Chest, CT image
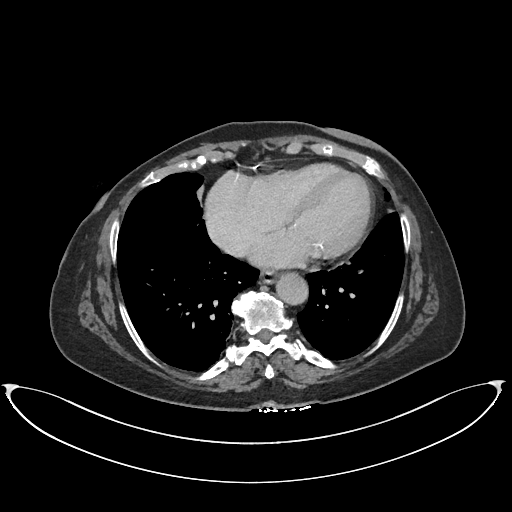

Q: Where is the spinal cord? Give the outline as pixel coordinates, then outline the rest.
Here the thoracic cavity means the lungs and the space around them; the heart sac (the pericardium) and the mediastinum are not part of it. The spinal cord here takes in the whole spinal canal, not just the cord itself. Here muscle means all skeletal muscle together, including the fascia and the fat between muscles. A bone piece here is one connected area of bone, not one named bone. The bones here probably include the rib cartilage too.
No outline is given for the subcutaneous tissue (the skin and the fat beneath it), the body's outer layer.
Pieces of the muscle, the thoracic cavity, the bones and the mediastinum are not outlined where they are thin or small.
A: spinal cord: [[262,329],[268,329],[270,331],[271,331],[272,332],[273,332],[274,333],[274,334],[273,335],[273,336],[268,341],[268,342],[267,342],[266,343],[264,343],[263,342],[262,342],[259,339],[258,339],[256,337],[256,335]]
bones 1: [[249,289],[283,303],[285,314],[293,318],[288,341],[298,337],[337,366],[324,368],[302,356],[296,360],[277,348],[268,356],[253,351],[240,365],[231,362],[217,375],[195,380],[225,354],[227,346],[246,343],[231,304]] with a hole at [[262,329],[268,329],[270,331],[271,331],[272,332],[273,332],[274,333],[274,334],[273,335],[273,336],[268,341],[268,342],[267,342],[266,343],[264,343],[263,342],[262,342],[259,339],[258,339],[256,337],[256,335]]
bones 2: [[208,150],[230,151],[235,154],[233,158],[224,159],[217,162],[208,161],[198,169],[175,172],[143,188],[139,186],[140,181],[151,171],[155,171],[164,166],[174,164],[186,159],[189,160],[192,159],[200,154],[203,154]]
bones 3: [[314,143],[318,143],[319,144],[326,144],[327,143],[340,148],[355,151],[364,155],[368,155],[375,159],[379,163],[380,169],[384,175],[384,178],[378,179],[375,176],[367,173],[359,165],[343,157],[328,156],[327,155],[314,153],[309,148],[309,146]]
bones 4: [[401,291],[402,291],[404,294],[404,301],[403,302],[403,305],[402,306],[400,314],[394,327],[384,342],[374,352],[367,356],[365,356],[364,354],[374,344],[376,339],[379,336],[380,333],[387,323],[394,308],[395,302],[399,294],[399,292]]
bones 5: [[119,301],[122,301],[123,302],[128,313],[128,315],[130,318],[130,320],[138,335],[142,340],[145,346],[149,350],[150,353],[160,363],[161,366],[158,366],[150,361],[141,352],[131,338],[125,327],[125,325],[120,315],[120,312],[118,308],[118,302]]
bones 6: [[115,217],[117,217],[120,221],[120,226],[119,227],[119,231],[118,232],[118,235],[117,236],[117,250],[116,251],[116,264],[115,265],[113,264],[112,262],[111,254],[110,253],[110,248],[109,247],[109,234],[110,233],[110,228],[111,227],[111,224]]
bones 7: [[402,212],[405,212],[408,218],[409,223],[410,224],[410,244],[409,245],[409,249],[407,253],[405,253],[404,251],[404,245],[403,244],[403,235],[402,234],[402,229],[401,228],[401,224],[400,223],[400,216],[399,215],[399,214]]
bones 8: [[294,141],[300,141],[303,144],[303,147],[302,148],[302,149],[301,150],[301,151],[300,151],[298,153],[295,153],[294,154],[288,154],[287,153],[285,153],[283,151],[283,150],[286,147],[286,146],[288,144],[289,144],[291,142],[293,142]]
torso: [[253,120],[303,121],[358,134],[386,148],[405,166],[443,231],[462,286],[465,325],[451,354],[392,383],[347,399],[291,409],[262,407],[241,412],[152,399],[80,368],[60,352],[49,323],[52,285],[68,242],[100,195],[132,168],[188,136],[230,121]]
pericardium: [[302,157],[345,160],[365,173],[375,185],[373,225],[367,236],[353,253],[333,266],[330,265],[314,272],[308,272],[294,267],[275,268],[255,265],[245,259],[222,251],[210,238],[203,217],[208,188],[211,184],[229,169],[237,166],[259,164],[282,158]]
thoracic cavity 1: [[188,171],[203,178],[202,217],[211,241],[222,253],[246,262],[259,271],[254,284],[233,298],[230,304],[232,323],[218,359],[200,373],[169,365],[150,351],[131,320],[124,303],[117,272],[118,236],[121,222],[133,198],[142,189],[169,175]]
thoracic cavity 2: [[391,204],[399,216],[404,252],[403,272],[393,308],[378,336],[365,350],[351,357],[333,361],[313,347],[302,331],[296,317],[309,299],[310,288],[307,275],[308,273],[315,273],[322,269],[329,270],[335,268],[347,260],[361,247],[384,215],[385,209]]
mediastinum 1: [[252,265],[261,267],[271,267],[275,269],[294,268],[307,272],[306,279],[309,288],[308,299],[304,307],[296,314],[295,317],[292,317],[286,314],[284,303],[274,295],[266,291],[258,291],[252,288],[246,289],[253,286],[255,284],[260,273],[259,269]]
mediastinum 2: [[244,148],[249,148],[258,154],[267,151],[278,151],[288,155],[312,152],[317,155],[345,159],[323,156],[282,157],[259,163],[237,165],[229,168],[210,184],[207,188],[203,208],[204,178],[202,175],[190,171],[198,170],[208,162],[217,163],[231,160]]
mediastinum 3: [[367,174],[375,177],[379,181],[379,182],[385,188],[384,190],[384,198],[388,201],[391,200],[392,203],[384,209],[384,213],[383,215],[378,220],[377,223],[372,229],[374,225],[374,219],[375,218],[375,212],[376,211],[376,202],[375,201],[376,185]]
muscle 1: [[295,134],[323,137],[358,151],[327,142],[311,143],[308,146],[311,151],[302,151],[304,144],[294,140],[282,151],[273,150],[265,143],[262,146],[266,151],[258,153],[242,142],[243,148],[236,154],[230,150],[208,149],[192,158],[151,170],[139,181],[141,189],[128,204],[121,221],[114,217],[108,234],[110,258],[116,265],[123,300],[117,302],[117,308],[127,333],[150,362],[161,367],[156,357],[169,366],[197,373],[195,381],[209,380],[231,363],[240,366],[253,352],[268,357],[282,349],[293,360],[302,357],[324,369],[335,369],[338,366],[335,362],[356,356],[373,343],[363,354],[371,355],[388,338],[401,314],[405,294],[400,288],[405,254],[411,244],[409,218],[405,211],[397,211],[390,192],[380,182],[385,178],[381,166],[399,187],[416,217],[429,272],[438,292],[436,315],[413,341],[392,356],[342,379],[294,388],[271,379],[275,372],[267,362],[263,373],[267,379],[256,388],[217,392],[184,387],[145,370],[114,351],[80,323],[78,304],[101,227],[120,197],[134,183],[153,167],[202,143]]
muscle 2: [[234,316],[236,316],[240,319],[237,324],[236,329],[239,330],[245,335],[245,340],[246,341],[245,343],[237,343],[236,342],[233,342],[227,345],[224,349],[224,354],[219,358],[219,356],[223,349],[225,343],[225,340],[233,323],[233,317]]
muscle 3: [[294,318],[296,318],[301,331],[303,333],[304,336],[307,339],[307,340],[310,343],[310,344],[313,348],[310,348],[308,347],[298,336],[295,336],[291,341],[287,339],[289,338],[289,336],[290,335],[290,333],[289,332],[293,328],[294,326]]